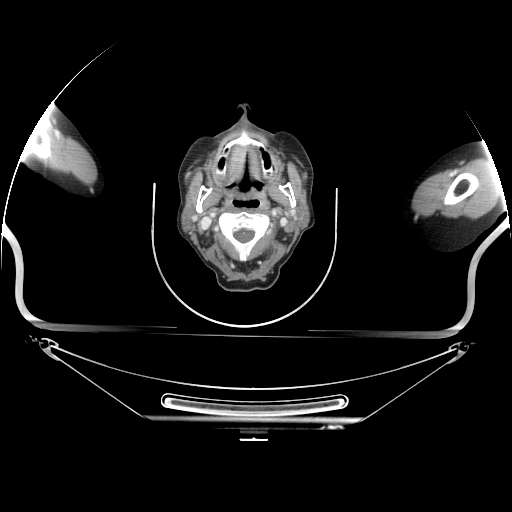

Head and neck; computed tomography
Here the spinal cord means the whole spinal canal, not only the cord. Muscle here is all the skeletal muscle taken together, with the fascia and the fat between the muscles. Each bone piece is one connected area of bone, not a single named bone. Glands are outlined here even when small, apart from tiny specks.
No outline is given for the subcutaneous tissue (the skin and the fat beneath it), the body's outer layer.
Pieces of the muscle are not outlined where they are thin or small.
Outlines:
spinal cord: (242, 228) (244, 228) (245, 229) (247, 229) (248, 230) (252, 230) (254, 232) (254, 234) (251, 239) (250, 239) (247, 241) (245, 241) (244, 242) (242, 242) (241, 241) (238, 240) (236, 238) (235, 238) (235, 237) (233, 234) (234, 233) (234, 232) (235, 232)
right arm: (51, 102) (54, 102) (73, 122) (83, 137) (93, 149) (100, 161) (103, 170) (105, 184) (101, 196) (95, 201) (89, 201) (76, 196) (67, 194) (61, 191) (49, 182) (44, 180) (39, 175) (26, 168) (22, 161) (20, 160) (21, 153) (30, 133) (32, 131) (40, 116)
parotid glands 1: (186, 192) (187, 192) (188, 194) (191, 196) (191, 199) (192, 200) (192, 207) (197, 212) (198, 214) (198, 220) (194, 225) (193, 228) (190, 231) (184, 232) (183, 226) (182, 225) (182, 222) (181, 221) (181, 216) (182, 215) (182, 210) (185, 205) (185, 194)
parotid glands 2: (302, 188) (304, 188) (305, 195) (307, 198) (307, 205) (309, 208) (309, 220) (308, 221) (308, 225) (301, 228) (299, 225) (299, 222) (296, 217) (296, 205) (298, 203) (297, 202) (296, 202) (298, 199) (298, 196) (299, 195) (299, 194) (300, 193) (300, 191)
muscle 1: (242, 126) (260, 131) (282, 142) (298, 156) (308, 175) (306, 195) (305, 188) (302, 187) (297, 199) (290, 181) (279, 184) (277, 187) (287, 197) (289, 206) (292, 209) (295, 207) (295, 217) (302, 229) (288, 252) (275, 265) (273, 273) (265, 281) (226, 281) (222, 273) (203, 257) (186, 233) (190, 232) (198, 222) (199, 214) (203, 211) (203, 202) (213, 189) (211, 186) (201, 184) (194, 208) (192, 196) (186, 191) (184, 185) (187, 167) (214, 141) with holes at (241, 211) (249, 213) (264, 213) (269, 216) (271, 222) (271, 225) (269, 227) (270, 231) (266, 233) (253, 246) (247, 259) (244, 261) (239, 259) (239, 255) (233, 245) (225, 238) (219, 229) (217, 228) (216, 229) (218, 223) (218, 217) (222, 213) (224, 212) (237, 213) and at (242, 130) (245, 130) (252, 138) (262, 142) (266, 146) (276, 171) (271, 177) (265, 178) (263, 176) (259, 159) (262, 150) (259, 147) (251, 145) (244, 147) (239, 147) (237, 145) (233, 146) (229, 150) (225, 175) (223, 177) (214, 173) (214, 164) (225, 144) (237, 137) and at (246, 175) (249, 181) (252, 184) (253, 184) (255, 182) (259, 182) (261, 184) (261, 187) (259, 188) (258, 187) (256, 187) (255, 185) (252, 184) (248, 188) (248, 189) (246, 190) (242, 190) (240, 187) (240, 184) (241, 182) (244, 179) (244, 177) and at (234, 200) (243, 200) (244, 201) (247, 201) (248, 200) (257, 200) (257, 201) (258, 202) (258, 203) (257, 204) (257, 205) (256, 205) (255, 206) (248, 206) (247, 205) (236, 205) (235, 204) (234, 204)
muscle 2: (462, 158) (472, 159) (486, 158) (493, 160) (503, 189) (500, 199) (495, 206) (495, 208) (474, 220) (471, 219) (441, 220) (432, 219) (427, 217) (423, 218) (420, 215) (414, 214) (411, 209) (411, 202) (413, 195) (420, 183) (430, 175) (449, 167) (456, 160) (459, 160) with a hole at (463, 172) (471, 172) (477, 175) (479, 177) (481, 181) (479, 186) (473, 192) (473, 193) (472, 193) (464, 199) (459, 201) (457, 203) (453, 204) (452, 205) (445, 205) (443, 203) (443, 198) (447, 191) (448, 187) (450, 185) (454, 178) (458, 174) (462, 173)
muscle 3: (47, 107) (65, 126) (66, 131) (76, 139) (91, 155) (98, 174) (97, 180) (92, 186) (92, 188) (82, 184) (71, 176) (64, 175) (55, 169) (44, 166) (36, 159) (24, 152) (24, 148) (39, 160) (47, 160) (52, 156) (53, 154) (50, 135) (44, 126) (38, 121)
bones 1: (241, 211) (249, 213) (264, 213) (269, 216) (271, 222) (271, 225) (269, 227) (270, 231) (266, 233) (253, 246) (247, 259) (244, 261) (239, 259) (239, 255) (233, 245) (225, 238) (219, 229) (217, 228) (216, 229) (218, 223) (218, 217) (222, 213) (224, 212) (237, 213); inner edge: (242, 228) (244, 228) (245, 229) (247, 229) (248, 230) (252, 230) (254, 232) (254, 234) (251, 239) (250, 239) (247, 241) (245, 241) (244, 242) (242, 242) (241, 241) (238, 240) (236, 238) (235, 238) (235, 237) (233, 234) (234, 233) (234, 232) (235, 232)
bones 2: (242, 130) (245, 130) (252, 138) (262, 142) (266, 146) (276, 171) (271, 177) (265, 178) (263, 176) (259, 159) (262, 150) (259, 147) (251, 145) (244, 147) (239, 147) (237, 145) (233, 146) (229, 150) (225, 175) (223, 177) (214, 173) (214, 164) (225, 144) (237, 137); inner edge: (264, 152) (265, 153) (266, 153) (267, 154) (267, 155) (268, 156) (268, 159) (269, 160) (269, 164) (268, 165) (268, 166) (266, 166) (265, 165) (265, 160) (264, 159) (264, 157) (263, 156) (263, 153)
bones 3: (463, 172) (471, 172) (477, 175) (479, 177) (481, 181) (479, 186) (473, 192) (473, 193) (472, 193) (464, 199) (459, 201) (457, 203) (453, 204) (452, 205) (445, 205) (443, 203) (443, 198) (447, 191) (448, 187) (450, 185) (454, 178) (458, 174) (462, 173)
bones 4: (37, 121) (39, 122) (43, 126) (44, 129) (46, 130) (47, 133) (49, 135) (49, 139) (50, 140) (50, 144) (51, 145) (51, 153) (52, 154) (51, 156) (50, 156) (47, 159) (39, 159) (24, 147) (24, 145) (30, 133) (32, 131) (34, 126) (36, 124)
bones 5: (201, 185) (204, 185) (206, 187) (211, 187) (212, 188) (212, 189) (211, 190) (211, 191) (208, 194) (208, 195) (202, 202) (202, 205) (201, 206) (202, 207) (202, 211) (199, 213) (195, 209) (195, 204) (196, 203) (196, 199) (197, 198) (198, 191) (199, 190) (199, 188)
bones 6: (288, 181) (290, 182) (291, 184) (291, 186) (294, 193) (294, 196) (296, 199) (296, 201) (295, 202) (296, 204) (294, 208) (292, 208) (290, 206) (290, 203) (289, 202) (289, 199) (288, 197) (285, 194) (284, 194) (284, 193) (281, 191) (278, 187) (279, 185) (282, 185)
head and neck: (240, 102) (250, 104) (247, 117) (254, 124) (271, 132) (286, 130) (302, 143) (313, 167) (312, 202) (316, 219) (302, 234) (270, 288) (227, 291) (217, 284) (214, 272) (177, 229) (180, 201) (177, 176) (191, 143) (202, 135) (213, 135) (232, 125) (243, 112) (236, 108); inner edges: (246, 175) (249, 181) (252, 184) (253, 184) (255, 182) (259, 182) (261, 184) (261, 187) (259, 188) (258, 187) (256, 187) (255, 185) (252, 184) (248, 188) (248, 189) (246, 190) (242, 190) (240, 187) (240, 184) (241, 182) (244, 179) (244, 177), then (234, 200) (243, 200) (244, 201) (247, 201) (248, 200) (257, 200) (257, 201) (258, 202) (258, 203) (257, 204) (257, 205) (256, 205) (255, 206) (248, 206) (247, 205) (236, 205) (235, 204) (234, 204), then (264, 152) (265, 153) (266, 153) (267, 154) (267, 155) (268, 156) (268, 159) (269, 160) (269, 164) (268, 165) (268, 166) (266, 166) (265, 165) (265, 160) (264, 159) (264, 157) (263, 156) (263, 153)
left arm: (481, 139) (484, 140) (497, 169) (503, 189) (503, 208) (505, 208) (505, 211) (490, 228) (484, 231) (471, 244) (464, 248) (451, 253) (437, 253) (430, 251) (426, 249) (420, 241) (407, 229) (404, 223) (402, 217) (402, 208) (406, 194) (414, 181) (440, 156) (463, 143)